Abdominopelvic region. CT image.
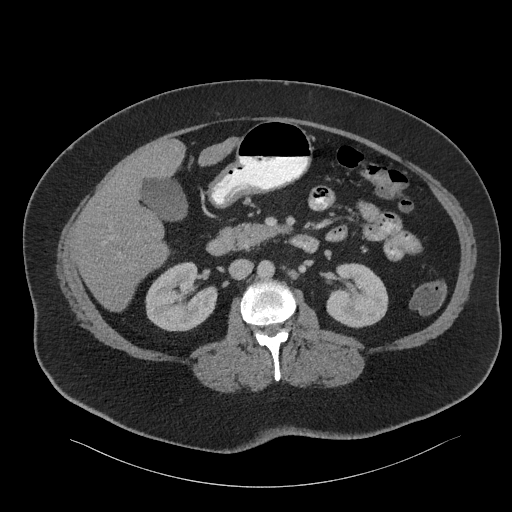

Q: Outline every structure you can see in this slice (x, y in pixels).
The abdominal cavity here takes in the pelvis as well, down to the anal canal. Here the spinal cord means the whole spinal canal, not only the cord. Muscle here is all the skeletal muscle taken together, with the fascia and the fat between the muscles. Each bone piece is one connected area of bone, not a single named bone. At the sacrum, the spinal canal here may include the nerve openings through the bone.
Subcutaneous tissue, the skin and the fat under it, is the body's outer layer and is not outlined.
A: {"abdominal_cavity":[[[232,121],[313,127],[359,142],[418,175],[451,219],[459,242],[457,277],[443,311],[419,330],[364,343],[322,328],[299,288],[261,279],[232,299],[224,337],[188,353],[142,347],[112,327],[88,295],[76,267],[72,248],[76,218],[126,163],[152,145]]],"muscle":[{"outer":[[240,116],[286,116],[287,117],[293,117],[294,118],[318,122],[322,124],[340,128],[355,133],[387,148],[399,155],[402,158],[409,160],[424,169],[437,179],[445,188],[455,196],[472,224],[475,241],[477,246],[477,258],[474,269],[474,276],[470,286],[469,297],[464,304],[462,310],[449,328],[443,333],[432,339],[428,340],[424,344],[422,344],[419,346],[405,348],[400,350],[380,351],[370,355],[365,362],[364,369],[360,375],[350,383],[341,386],[331,387],[330,388],[322,388],[315,386],[302,388],[290,385],[288,383],[276,382],[257,392],[224,393],[216,391],[203,385],[193,374],[192,371],[184,364],[178,362],[170,362],[169,361],[152,361],[151,360],[145,360],[133,357],[129,355],[125,351],[116,349],[104,344],[98,340],[89,331],[79,325],[78,322],[76,321],[75,315],[70,309],[68,302],[59,287],[58,279],[55,272],[56,250],[57,249],[57,244],[59,240],[59,237],[63,226],[75,209],[75,206],[116,163],[139,146],[168,132],[171,132],[184,127],[214,120],[218,118],[239,117]],"hole":[[232,121],[313,127],[418,175],[459,242],[457,277],[443,311],[419,330],[364,343],[322,328],[294,288],[296,309],[279,347],[278,381],[269,349],[242,318],[240,296],[230,303],[224,337],[188,353],[142,347],[112,327],[76,267],[76,218],[152,145]]}],"spinal_cord":[[[271,324],[279,324],[281,326],[281,327],[280,328],[280,330],[279,331],[278,331],[274,335],[273,335],[272,336],[270,336],[269,335],[268,335],[267,334],[266,334],[265,333],[264,333],[262,330],[262,328],[263,327],[264,327],[267,325],[270,325]]],"bones":[{"outer":[[261,280],[276,280],[287,285],[292,291],[296,301],[295,312],[286,321],[289,330],[288,337],[279,347],[278,357],[281,376],[278,381],[274,379],[274,363],[269,349],[257,342],[254,336],[254,326],[245,322],[240,312],[240,300],[244,291],[252,283]],"hole":[[271,324],[279,324],[281,326],[281,327],[280,328],[280,330],[279,331],[278,331],[274,335],[273,335],[272,336],[270,336],[269,335],[268,335],[267,334],[266,334],[265,333],[264,333],[262,330],[262,328],[263,327],[264,327],[267,325],[270,325]]}],"torso":[[[251,78],[325,84],[382,100],[437,128],[472,163],[499,226],[502,338],[489,374],[469,396],[369,437],[284,435],[244,451],[215,453],[128,431],[69,401],[51,384],[34,353],[33,307],[22,253],[24,214],[37,182],[75,139],[126,106],[183,86]]]}